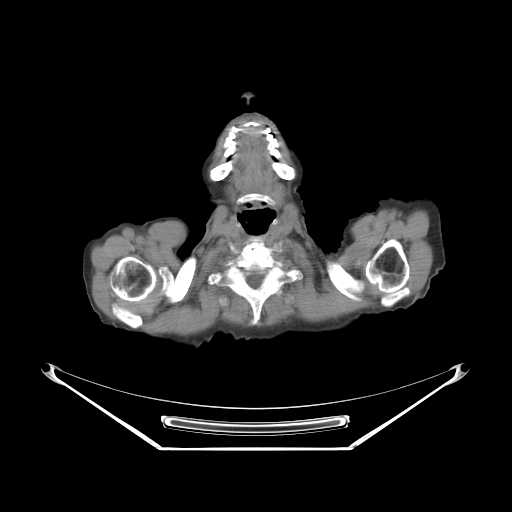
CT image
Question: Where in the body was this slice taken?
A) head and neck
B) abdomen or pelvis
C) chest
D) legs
Answer: A) head and neck
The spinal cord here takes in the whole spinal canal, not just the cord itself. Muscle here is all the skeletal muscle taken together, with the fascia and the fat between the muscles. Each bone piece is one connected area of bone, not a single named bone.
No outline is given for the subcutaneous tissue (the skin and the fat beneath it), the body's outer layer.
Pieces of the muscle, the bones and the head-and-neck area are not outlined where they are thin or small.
{"torso":[[[300,195],[308,232],[324,250],[334,250],[341,270],[377,291],[428,291],[407,309],[364,316],[334,332],[286,333],[263,340],[217,334],[196,349],[105,325],[95,313],[136,309],[166,292],[202,237],[213,207],[238,214],[247,233],[264,234],[273,210]]],"right_arm":[[[171,215],[183,218],[190,227],[189,237],[178,251],[179,256],[182,258],[185,257],[185,259],[173,284],[159,297],[136,308],[120,312],[94,312],[88,301],[82,278],[82,252],[86,241],[90,237],[101,233],[107,228],[123,220],[143,223],[161,216]]],"bones":[{"outer":[[252,236],[259,236],[267,247],[276,244],[281,251],[274,250],[272,256],[282,261],[282,268],[298,269],[303,275],[264,301],[254,325],[250,322],[252,308],[244,297],[227,286],[207,281],[210,274],[222,273],[224,264],[238,255],[230,245],[240,251]],"hole":[[251,271],[259,271],[261,273],[263,273],[264,274],[263,276],[263,278],[262,279],[262,281],[260,285],[257,288],[253,288],[251,287],[248,284],[247,282],[247,280],[246,278],[247,276],[251,272]]},[[391,238],[393,238],[401,243],[409,265],[409,278],[405,285],[409,288],[410,293],[409,295],[404,297],[394,305],[390,307],[385,307],[380,302],[380,297],[382,294],[375,285],[371,284],[368,281],[365,275],[365,266],[380,246],[388,239]],[[129,255],[131,256],[134,256],[143,262],[149,264],[153,268],[154,271],[156,273],[156,283],[154,288],[144,299],[139,302],[131,302],[130,301],[127,301],[120,298],[117,295],[116,295],[110,286],[110,273],[114,265],[119,259],[124,256],[128,256]],[[189,255],[195,256],[197,260],[196,261],[196,267],[193,277],[191,280],[187,292],[183,298],[180,301],[171,303],[168,298],[161,293],[161,288],[163,282],[161,277],[158,274],[158,270],[161,266],[166,266],[172,274],[175,275],[178,272],[184,260]],[[327,260],[336,261],[347,272],[351,274],[354,277],[361,280],[364,283],[364,290],[362,293],[363,299],[361,301],[356,301],[355,300],[351,299],[349,297],[341,293],[334,286],[334,285],[330,280],[328,276],[328,274],[326,271],[326,266],[325,264]],[[247,121],[259,122],[260,126],[250,126],[243,131],[238,131],[236,133],[234,138],[236,149],[229,157],[233,160],[232,169],[223,179],[218,181],[211,180],[209,177],[209,171],[227,159],[224,157],[225,148],[223,144],[229,128],[232,126],[239,126]],[[265,127],[269,127],[271,129],[271,133],[279,143],[279,145],[277,147],[281,156],[279,160],[294,168],[295,177],[293,179],[286,180],[281,178],[272,168],[271,162],[274,158],[269,153],[267,148],[268,142],[266,139],[266,136],[260,132],[258,129]],[[114,303],[120,307],[122,307],[123,308],[126,308],[132,311],[134,313],[136,314],[138,314],[141,317],[142,319],[142,324],[141,326],[137,328],[133,328],[123,323],[121,321],[120,321],[114,315],[112,311],[112,305]],[[249,193],[259,193],[260,194],[267,195],[269,196],[274,201],[274,203],[273,204],[269,204],[265,201],[260,201],[259,200],[253,200],[252,201],[250,201],[248,200],[243,203],[237,203],[236,202],[236,200],[238,198],[239,198],[243,195],[245,195]]],"spinal_cord":[[[251,271],[259,271],[261,273],[263,273],[264,274],[263,276],[263,278],[262,279],[262,281],[260,285],[257,288],[253,288],[251,287],[248,284],[247,282],[247,280],[246,278],[247,276],[251,272]]],"left_arm":[[[388,196],[403,199],[416,196],[427,196],[433,199],[439,207],[446,262],[444,267],[432,278],[430,287],[428,290],[373,289],[349,275],[341,269],[336,262],[334,257],[335,249],[340,242],[343,228],[348,219],[364,211],[374,210],[378,204],[378,200]]],"head_and_neck":[[[246,111],[264,114],[277,124],[300,158],[304,174],[302,184],[297,189],[299,195],[289,204],[281,208],[271,209],[252,207],[252,202],[248,200],[244,204],[247,208],[238,213],[228,213],[208,202],[209,196],[201,179],[200,168],[220,130],[229,120]],[[247,90],[249,90],[250,91],[253,91],[256,94],[256,95],[257,96],[257,98],[256,99],[254,99],[250,102],[250,105],[249,106],[249,107],[247,107],[246,106],[245,103],[243,101],[242,101],[239,99],[239,95],[243,91],[246,91]]],"muscle":[{"outer":[[248,115],[271,125],[288,151],[297,170],[296,177],[295,168],[286,162],[280,160],[272,129],[257,129],[273,158],[271,168],[293,180],[301,227],[318,252],[339,254],[351,242],[351,225],[382,208],[428,211],[433,261],[417,294],[403,299],[411,293],[410,265],[402,243],[391,237],[364,266],[384,307],[336,320],[261,328],[218,323],[182,336],[139,328],[142,317],[114,302],[111,311],[119,321],[97,306],[91,246],[121,227],[143,231],[166,220],[181,221],[186,234],[177,249],[183,260],[177,272],[166,265],[157,270],[160,293],[171,304],[184,298],[198,260],[190,254],[219,204],[218,189],[209,180],[207,175],[207,169],[228,128],[226,159],[212,167],[208,171],[208,172],[208,177],[209,179],[211,181],[213,182],[218,182],[231,172],[237,133],[261,126],[256,120],[230,126]],"holes":[[[252,236],[259,236],[267,247],[276,244],[281,251],[274,250],[272,256],[282,261],[282,268],[298,269],[303,275],[264,301],[254,325],[250,322],[252,308],[244,297],[227,286],[207,281],[210,274],[222,273],[224,264],[238,255],[230,245],[240,251]],[[129,255],[131,256],[134,256],[143,262],[149,264],[153,268],[154,271],[156,273],[156,283],[154,288],[144,299],[139,302],[131,302],[130,301],[127,301],[120,298],[117,295],[116,295],[110,286],[110,273],[114,265],[119,259],[124,256],[128,256]],[[249,193],[259,193],[267,195],[274,201],[273,204],[267,203],[265,206],[263,206],[262,205],[263,202],[259,200],[253,200],[251,202],[252,204],[251,207],[252,208],[256,208],[257,207],[259,208],[266,208],[272,210],[274,213],[274,216],[271,220],[266,232],[264,233],[251,234],[247,232],[242,227],[238,220],[239,213],[248,208],[246,207],[245,205],[246,203],[245,202],[243,203],[237,203],[236,200],[241,196]],[[327,260],[336,261],[347,272],[351,274],[354,277],[361,280],[364,283],[364,290],[362,293],[363,299],[361,301],[356,301],[355,300],[351,299],[349,297],[341,293],[334,286],[334,285],[330,280],[328,276],[328,274],[326,271],[326,266],[325,264]],[[220,298],[221,298],[222,298],[223,298],[224,298],[225,298],[226,298],[227,299],[227,300],[227,301],[227,302],[227,303],[226,304],[225,305],[224,305],[223,305],[222,305],[221,304],[220,303],[219,302],[219,301],[219,300],[219,299]]]}]}